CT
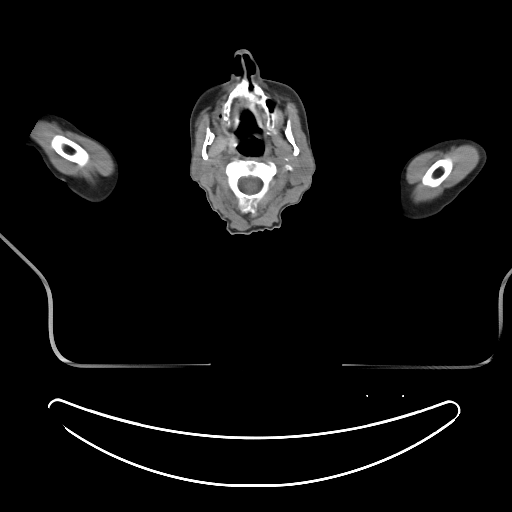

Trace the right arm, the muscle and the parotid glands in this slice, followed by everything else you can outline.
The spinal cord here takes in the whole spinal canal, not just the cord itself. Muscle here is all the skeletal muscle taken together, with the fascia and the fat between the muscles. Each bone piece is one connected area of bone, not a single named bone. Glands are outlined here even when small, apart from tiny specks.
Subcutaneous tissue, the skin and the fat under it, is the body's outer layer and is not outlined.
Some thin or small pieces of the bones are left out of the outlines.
{"right_arm":[[[44,112],[53,113],[69,120],[82,131],[105,144],[114,154],[119,165],[120,175],[119,181],[115,190],[107,200],[102,203],[92,203],[76,195],[68,188],[65,183],[56,178],[51,173],[42,161],[38,152],[32,147],[26,145],[26,142],[32,129]]],"muscle":[{"outer":[[257,79],[272,89],[285,92],[296,103],[307,143],[299,159],[299,175],[302,177],[308,172],[309,175],[297,199],[280,209],[275,222],[269,226],[238,230],[231,227],[230,221],[214,206],[203,183],[206,167],[194,152],[195,121],[210,100],[224,87],[238,81],[221,104],[220,117],[225,126],[232,129],[229,139],[233,148],[246,156],[261,154],[264,142],[253,135],[260,135],[262,130],[267,135],[275,135],[281,111]],"holes":[[[234,159],[253,159],[256,161],[262,162],[272,161],[276,166],[277,169],[276,174],[270,183],[269,189],[258,202],[255,208],[255,213],[252,213],[250,211],[242,212],[240,210],[238,205],[238,200],[228,185],[227,176],[225,173],[225,167],[230,161]],[[207,126],[209,126],[211,131],[214,133],[215,136],[212,142],[206,147],[206,152],[207,153],[208,158],[206,160],[205,160],[202,158],[202,156],[201,155],[201,150],[202,149],[202,146],[203,145],[203,143],[205,139],[205,135],[206,134],[206,127]],[[288,118],[290,119],[290,125],[291,126],[291,132],[292,133],[292,135],[293,136],[294,141],[299,149],[299,153],[297,155],[294,155],[293,154],[293,146],[286,138],[285,136],[285,134],[284,133],[284,130],[286,126],[286,122]]]},{"outer":[[39,120],[49,122],[54,121],[62,129],[74,132],[81,136],[88,138],[100,145],[110,155],[114,164],[114,172],[109,176],[102,177],[95,185],[92,185],[83,179],[69,176],[59,171],[53,165],[47,154],[41,146],[31,137],[31,133],[37,121]],"hole":[[56,134],[59,134],[60,135],[62,135],[72,140],[74,142],[80,145],[88,153],[89,155],[89,160],[88,162],[84,166],[80,166],[75,162],[73,162],[70,160],[68,160],[64,158],[59,154],[58,154],[51,147],[50,145],[50,142],[53,136]]},{"outer":[[461,144],[471,144],[478,149],[480,153],[480,158],[476,166],[462,180],[453,186],[444,189],[438,197],[427,202],[414,203],[409,196],[411,186],[407,183],[405,178],[407,168],[411,161],[424,152],[438,149],[441,150],[447,147],[450,147],[452,145]],"hole":[[447,157],[448,158],[450,158],[452,161],[452,169],[446,178],[443,180],[439,185],[435,187],[431,187],[430,186],[423,185],[421,182],[421,179],[422,178],[422,176],[425,173],[428,168],[437,160],[441,159],[442,158],[446,158]]}],"parotid_glands":[[[305,148],[306,148],[308,150],[308,152],[309,153],[309,156],[311,160],[311,167],[309,171],[308,171],[304,175],[302,176],[300,175],[300,170],[299,169],[299,165],[300,164],[300,159],[302,155],[302,152]],[[196,157],[199,160],[199,161],[200,162],[201,162],[201,163],[202,164],[203,164],[203,165],[205,167],[205,177],[202,180],[202,181],[202,180],[201,179],[200,179],[200,178],[197,175],[197,174],[196,173],[196,170],[195,169],[195,158]]],"left_arm":[[[456,137],[472,138],[477,140],[483,145],[487,152],[487,160],[482,170],[473,181],[452,202],[444,207],[437,214],[419,220],[412,220],[402,216],[398,209],[399,176],[400,172],[406,161],[416,152],[425,148],[427,146],[429,146],[441,140]]],"spinal_cord":[[[241,177],[255,177],[256,178],[258,178],[261,181],[261,186],[260,187],[259,190],[258,190],[256,192],[254,192],[253,193],[246,193],[245,192],[242,191],[239,188],[239,186],[238,185],[238,181],[239,180],[239,179]]],"bones":[[[244,76],[255,80],[269,96],[266,102],[268,111],[272,113],[274,105],[279,109],[280,115],[274,126],[276,133],[267,134],[257,127],[252,114],[244,111],[235,131],[237,146],[233,147],[230,139],[230,132],[233,129],[223,122],[221,109],[229,92]],{"outer":[[234,159],[253,159],[256,161],[262,162],[272,161],[276,166],[277,169],[276,174],[270,183],[269,189],[258,202],[255,208],[255,213],[252,213],[250,211],[242,212],[240,210],[238,205],[238,200],[228,185],[227,176],[225,173],[225,167],[230,161]],"hole":[[241,177],[255,177],[256,178],[258,178],[261,181],[261,186],[260,187],[259,190],[258,190],[256,192],[254,192],[253,193],[246,193],[245,192],[242,191],[239,188],[239,186],[238,185],[238,181],[239,180],[239,179]]},[[56,134],[59,134],[60,135],[62,135],[72,140],[74,142],[80,145],[88,153],[89,155],[89,160],[88,162],[84,166],[80,166],[75,162],[73,162],[70,160],[68,160],[64,158],[59,154],[58,154],[51,147],[50,145],[50,142],[53,136]],[[447,157],[448,158],[450,158],[452,161],[452,169],[446,178],[443,180],[439,185],[435,187],[431,187],[430,186],[423,185],[421,182],[421,179],[422,178],[422,176],[425,173],[428,168],[437,160],[441,159],[442,158],[446,158]],[[207,126],[209,126],[211,131],[214,133],[215,136],[212,142],[206,147],[206,152],[207,153],[208,158],[206,160],[205,160],[202,158],[202,156],[201,155],[201,150],[202,149],[202,146],[203,145],[203,143],[205,139],[205,135],[206,134],[206,127]],[[288,118],[290,119],[290,125],[291,126],[291,132],[292,133],[292,135],[293,136],[294,141],[299,149],[299,153],[297,155],[294,155],[293,154],[293,146],[286,138],[285,136],[285,134],[284,133],[284,130],[286,126],[286,122]]],"head_and_neck":[{"outer":[[238,49],[252,55],[263,78],[285,83],[298,93],[306,111],[316,164],[309,189],[298,203],[283,210],[280,227],[247,235],[226,230],[204,190],[189,175],[189,118],[193,105],[206,88],[225,82],[230,72],[242,73],[241,57],[232,57]],"holes":[[[246,111],[251,114],[255,122],[256,127],[261,130],[260,134],[253,134],[252,135],[263,142],[263,151],[257,155],[246,155],[243,153],[240,153],[237,149],[238,146],[238,135],[236,133],[236,131],[240,126],[240,124],[242,121],[241,120],[241,116]],[[246,53],[249,55],[250,60],[252,62],[252,63],[253,64],[253,66],[254,67],[254,70],[253,71],[253,72],[250,74],[249,74],[248,73],[248,70],[247,69],[247,66],[246,65],[246,63],[245,62],[245,60],[244,59],[244,55]],[[269,100],[270,101],[271,101],[273,103],[273,111],[272,112],[270,112],[269,111],[269,108],[268,107],[268,105],[267,104],[267,102]]]}]}